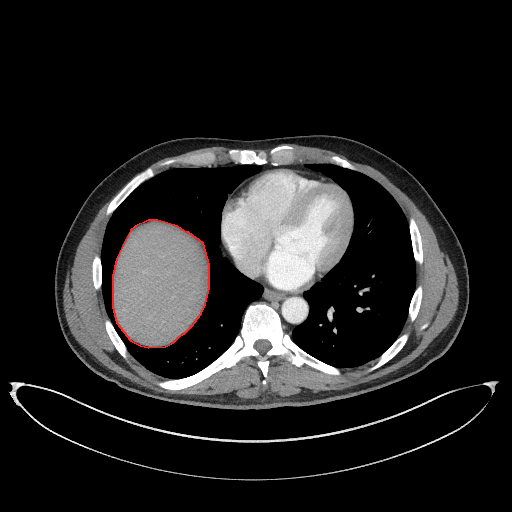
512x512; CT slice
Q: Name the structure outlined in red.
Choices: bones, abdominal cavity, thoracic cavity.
A: red: abdominal cavity.
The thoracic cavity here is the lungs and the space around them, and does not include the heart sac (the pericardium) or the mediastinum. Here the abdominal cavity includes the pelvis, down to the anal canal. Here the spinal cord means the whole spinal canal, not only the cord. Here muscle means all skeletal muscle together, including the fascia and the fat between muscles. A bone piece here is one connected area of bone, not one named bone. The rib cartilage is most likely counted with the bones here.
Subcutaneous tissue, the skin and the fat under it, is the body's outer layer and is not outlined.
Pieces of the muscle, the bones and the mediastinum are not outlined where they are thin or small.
{"abdominal_cavity":[[[148,347],[165,346],[173,342],[180,335],[184,333],[192,325],[201,313],[205,304],[209,288],[209,264],[203,243],[188,232],[186,232],[177,226],[157,220],[148,220],[135,226],[130,230],[116,258],[112,276],[112,307],[116,322],[130,340],[140,345]]],"torso":[[[237,410],[316,405],[385,387],[441,357],[459,333],[469,303],[469,276],[462,246],[420,182],[380,151],[350,138],[326,134],[256,140],[171,139],[144,149],[114,169],[77,212],[61,245],[54,280],[58,322],[76,356],[94,373],[128,391],[168,402]]],"muscle":[[[237,398],[255,398],[266,390],[281,396],[333,391],[383,376],[418,356],[453,318],[459,292],[449,255],[412,200],[378,170],[333,151],[290,144],[298,153],[295,161],[328,162],[335,153],[346,158],[380,183],[419,227],[424,261],[416,264],[416,285],[423,287],[422,303],[416,319],[406,320],[401,331],[410,333],[404,347],[372,372],[366,370],[375,360],[341,368],[334,376],[306,364],[297,368],[279,356],[271,358],[263,386],[250,357],[185,389],[157,386],[165,378],[133,358],[125,360],[113,346],[104,328],[108,317],[101,290],[92,283],[91,262],[100,254],[110,217],[105,211],[120,189],[91,222],[73,253],[63,290],[65,317],[76,340],[107,368],[154,391]],[[156,174],[170,167],[187,166],[189,165],[183,165],[179,163],[176,163],[167,167],[166,166],[165,167],[161,167],[159,165],[159,163],[165,159],[167,159],[170,157],[179,157],[184,156],[190,153],[201,152],[207,150],[215,151],[219,157],[217,162],[214,165],[230,164],[232,163],[225,156],[225,152],[230,148],[222,146],[213,146],[212,147],[207,147],[190,151],[187,153],[184,153],[183,154],[173,157],[168,157],[164,158],[153,163],[149,166],[154,169]]],"spinal_cord":[[[261,353],[264,353],[266,351],[267,351],[271,347],[271,345],[270,344],[270,343],[267,340],[265,340],[264,339],[260,339],[259,340],[257,340],[255,342],[255,343],[254,344],[254,347],[259,352],[260,352]]],"mediastinum":[[[290,334],[292,330],[297,325],[304,321],[308,315],[309,306],[303,297],[303,293],[304,292],[299,292],[298,293],[283,292],[273,287],[261,284],[263,287],[263,292],[261,296],[258,300],[251,303],[254,302],[265,302],[275,309],[281,317],[284,330]],[[317,173],[321,173],[311,170],[307,168],[305,165],[308,162],[323,162],[295,162],[292,164],[273,165],[272,166],[270,164],[260,165],[261,166],[261,170],[260,171],[269,168],[285,166],[286,167],[295,167],[296,168],[305,169]],[[233,264],[233,263],[231,260],[231,258],[229,256],[229,255],[225,251],[225,250],[223,248],[223,247],[221,244],[221,242],[220,242],[218,244],[218,245],[221,249],[221,251],[222,252],[222,255],[225,257],[227,257],[229,259],[229,260]],[[228,197],[234,191],[235,191],[235,190],[239,186],[239,185],[243,181],[244,181],[246,179],[247,179],[249,177],[250,177],[251,176],[250,176],[249,177],[246,178],[244,180],[243,180],[237,186],[237,187],[231,193],[230,193],[228,195]]],"bones":[{"outer":[[167,389],[185,388],[250,356],[263,374],[263,385],[267,383],[273,356],[279,355],[297,367],[306,363],[329,374],[339,375],[340,370],[301,349],[283,330],[275,310],[265,303],[254,303],[246,308],[239,333],[219,357],[188,377],[157,381],[157,385]],"hole":[[261,353],[264,353],[266,351],[267,351],[271,347],[271,345],[270,344],[270,343],[267,340],[265,340],[264,339],[260,339],[259,340],[257,340],[255,342],[255,343],[254,344],[254,347],[259,352],[260,352]]},[[259,165],[266,163],[270,163],[272,165],[273,164],[292,163],[294,162],[297,157],[297,153],[295,148],[289,144],[278,145],[267,151],[262,150],[258,153],[251,149],[231,148],[226,152],[226,156],[233,163],[235,164],[237,163],[241,164],[254,163]],[[108,216],[111,215],[114,210],[121,203],[121,202],[137,186],[138,186],[145,180],[152,177],[155,174],[152,168],[148,167],[143,171],[140,172],[138,174],[134,176],[121,189],[121,190],[110,201],[108,205],[108,207],[106,211],[106,214]],[[161,166],[165,166],[166,165],[167,166],[176,162],[179,162],[183,164],[189,164],[194,166],[211,166],[216,162],[218,157],[215,152],[213,151],[207,151],[201,153],[190,154],[187,156],[180,157],[179,158],[170,158],[161,162],[160,163]],[[367,371],[372,371],[378,368],[380,366],[383,365],[386,362],[387,362],[390,359],[391,359],[403,347],[403,346],[405,344],[408,338],[409,333],[408,332],[405,332],[401,334],[395,340],[395,341],[378,358],[376,359],[376,362],[370,367],[369,367]],[[420,265],[423,261],[423,253],[422,252],[422,245],[421,244],[421,236],[420,235],[420,233],[415,220],[413,217],[409,217],[408,219],[408,222],[409,223],[409,229],[410,230],[411,240],[412,241],[413,255],[414,256],[414,259],[416,263]],[[125,359],[127,359],[130,357],[131,358],[132,357],[128,352],[124,343],[116,332],[111,321],[108,318],[106,319],[104,322],[105,324],[105,328],[106,329],[106,331],[111,341],[113,343],[114,346],[116,348],[118,352]],[[411,322],[412,322],[415,319],[417,315],[417,313],[418,312],[420,304],[421,303],[421,296],[422,295],[422,287],[420,284],[416,286],[416,288],[412,296],[412,298],[410,302],[410,305],[409,306],[409,310],[408,311],[408,317],[407,319],[408,319]],[[97,290],[98,290],[99,289],[101,289],[101,261],[100,260],[100,255],[99,255],[98,254],[96,254],[94,256],[94,258],[93,259],[93,261],[92,262],[92,276],[93,277],[93,283],[94,284],[94,287],[95,288],[95,289],[96,289]],[[353,170],[358,170],[356,168],[356,167],[354,166],[349,161],[348,161],[344,158],[340,157],[338,155],[336,155],[335,154],[334,155],[330,156],[328,158],[329,162],[331,163],[339,165],[342,167],[349,168]]],"pericardium":[[[290,292],[298,292],[309,289],[320,281],[338,263],[347,247],[353,229],[354,219],[351,202],[347,193],[330,178],[305,170],[284,167],[259,172],[243,182],[228,198],[222,210],[221,241],[224,248],[232,258],[234,264],[243,274],[253,280]]],"thoracic_cavity":[[[339,368],[355,367],[375,359],[399,335],[415,288],[415,262],[407,220],[398,204],[380,184],[360,172],[330,163],[308,163],[307,167],[330,177],[348,193],[355,219],[342,259],[320,282],[304,293],[310,312],[307,319],[293,330],[291,337],[308,353]],{"outer":[[166,378],[193,374],[219,356],[238,333],[245,308],[262,292],[261,285],[223,257],[217,245],[221,210],[227,195],[243,179],[257,173],[258,165],[188,166],[165,170],[137,187],[115,210],[106,227],[101,260],[102,293],[108,316],[131,355],[152,372]],"hole":[[148,347],[165,346],[173,342],[180,335],[184,333],[192,325],[201,313],[205,304],[209,288],[209,264],[203,243],[188,232],[186,232],[177,226],[157,220],[148,220],[135,226],[130,230],[116,258],[112,276],[112,307],[116,322],[130,340],[140,345]]}]}